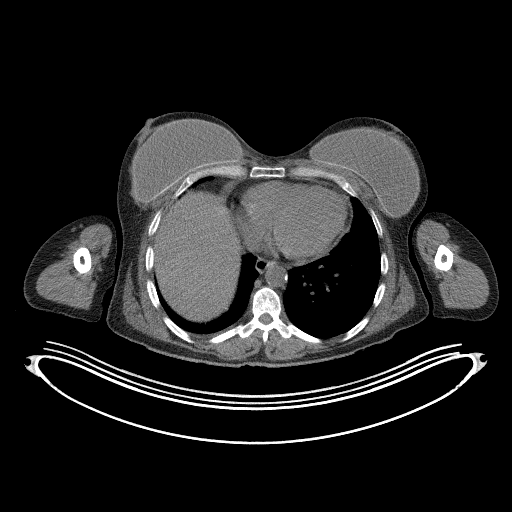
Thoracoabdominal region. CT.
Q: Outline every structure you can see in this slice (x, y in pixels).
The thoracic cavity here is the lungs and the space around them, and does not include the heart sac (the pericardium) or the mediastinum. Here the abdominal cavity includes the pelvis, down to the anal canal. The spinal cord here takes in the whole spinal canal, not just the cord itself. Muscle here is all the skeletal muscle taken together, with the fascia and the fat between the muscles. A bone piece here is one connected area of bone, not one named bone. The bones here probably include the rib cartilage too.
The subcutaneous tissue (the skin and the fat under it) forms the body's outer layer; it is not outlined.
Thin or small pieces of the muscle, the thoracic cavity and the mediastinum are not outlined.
A: {"muscle":[[[297,158],[343,167],[372,188],[391,217],[383,215],[396,266],[398,269],[400,265],[403,267],[414,292],[412,308],[383,329],[355,342],[284,360],[268,359],[262,351],[243,359],[221,359],[159,340],[133,328],[126,321],[122,312],[126,273],[131,261],[133,275],[136,274],[142,227],[148,213],[135,200],[142,203],[152,201],[185,176],[164,213],[162,215],[160,208],[155,211],[147,228],[147,235],[154,235],[153,247],[149,244],[144,254],[145,270],[152,271],[153,275],[153,280],[147,278],[145,281],[146,292],[152,305],[156,309],[161,306],[164,310],[166,314],[162,321],[173,334],[190,344],[195,342],[191,336],[218,344],[236,335],[247,338],[259,329],[262,341],[266,343],[269,332],[275,329],[284,339],[295,336],[320,344],[322,339],[342,334],[339,341],[344,342],[359,333],[370,320],[366,313],[371,306],[376,308],[379,305],[386,290],[386,284],[379,282],[380,276],[389,269],[388,256],[379,247],[379,238],[383,237],[382,224],[373,208],[367,210],[355,187],[343,174],[306,165],[271,166]],{"outer":[[96,223],[107,225],[111,231],[112,238],[109,251],[103,263],[103,267],[99,276],[98,283],[96,285],[90,308],[89,309],[76,308],[62,303],[58,303],[40,296],[36,291],[35,284],[42,270],[52,263],[60,255],[70,241],[78,237],[84,227]],"hole":[[81,246],[84,246],[86,247],[89,250],[90,252],[90,255],[91,256],[91,267],[90,269],[87,272],[85,273],[81,273],[80,274],[78,273],[78,272],[74,267],[74,265],[73,264],[73,254],[74,252],[77,249],[77,248]]},{"outer":[[427,219],[443,224],[449,231],[451,239],[460,246],[460,254],[464,258],[476,264],[483,271],[487,278],[489,294],[486,302],[480,307],[464,309],[448,308],[444,306],[436,282],[426,267],[425,262],[422,259],[416,244],[416,233],[418,227],[424,220]],"hole":[[440,244],[443,244],[447,246],[450,249],[450,250],[453,254],[453,262],[452,263],[452,265],[450,269],[449,269],[447,271],[443,271],[442,270],[439,270],[437,268],[436,268],[434,264],[434,256],[437,250],[437,248]]},[[242,149],[244,152],[255,158],[260,164],[269,165],[253,164],[250,166],[248,166],[240,163],[228,163],[227,164],[216,164],[215,165],[207,165],[204,167],[200,167],[186,175],[186,174],[189,172],[204,165],[208,165],[209,164],[214,163],[223,164],[228,162],[233,162],[240,155]]],"right_arm":[[[90,214],[102,214],[110,218],[114,224],[117,238],[115,278],[113,285],[108,288],[104,295],[100,319],[95,322],[87,322],[58,313],[38,310],[30,306],[26,302],[23,295],[23,281],[29,263],[34,254],[43,242],[58,229],[80,217]]],"mediastinum":[[[256,257],[262,260],[276,261],[277,262],[280,262],[290,266],[297,266],[292,267],[287,272],[287,283],[281,298],[279,294],[274,289],[266,285],[264,285],[256,289],[252,293],[251,297],[251,293],[253,289],[254,282],[258,276],[258,272],[255,268]],[[212,176],[226,176],[227,177],[238,177],[239,178],[245,178],[248,177],[251,178],[240,178],[231,181],[224,185],[221,188],[219,193],[218,191],[216,191],[213,189],[210,189],[209,187],[199,187],[197,186],[204,181],[210,180],[213,177]],[[311,177],[325,178],[328,180],[333,181],[338,186],[339,186],[339,187],[341,188],[342,190],[343,190],[350,196],[349,197],[349,201],[348,196],[345,193],[344,193],[343,191],[340,190],[337,187],[325,181],[322,181],[316,178]]],"pericardium":[[[286,178],[312,178],[325,182],[337,188],[347,196],[349,207],[351,210],[350,221],[347,229],[328,253],[326,255],[298,265],[290,265],[276,260],[262,259],[251,253],[240,241],[236,223],[229,211],[229,207],[220,196],[220,192],[224,186],[240,179]]],"torso":[[[182,110],[213,115],[256,150],[274,156],[299,149],[349,117],[381,118],[400,128],[416,146],[428,181],[426,203],[408,234],[409,257],[428,302],[428,315],[352,354],[282,367],[188,361],[114,333],[106,315],[122,246],[116,205],[121,162],[148,117]]],"bones":[{"outer":[[264,286],[278,294],[284,312],[295,326],[321,339],[321,342],[312,343],[295,335],[284,338],[275,328],[268,332],[266,342],[263,341],[263,332],[259,328],[244,338],[236,334],[218,343],[209,342],[211,337],[244,319],[245,313],[250,308],[253,293]],"hole":[[265,313],[266,313],[267,314],[268,314],[271,317],[271,318],[272,319],[272,320],[270,322],[269,322],[268,323],[263,323],[262,322],[261,322],[259,320],[259,318],[260,317],[260,316],[261,315],[262,315],[263,314],[264,314]]},[[228,164],[240,164],[248,167],[259,165],[284,166],[288,168],[295,166],[321,168],[343,175],[354,187],[357,197],[350,195],[333,180],[325,177],[252,178],[248,176],[208,175],[199,178],[177,197],[173,198],[173,194],[182,180],[190,173],[207,166]],[[81,246],[84,246],[86,247],[89,250],[90,252],[90,255],[91,256],[91,267],[90,269],[87,272],[85,273],[81,273],[80,274],[78,273],[78,272],[74,267],[74,265],[73,264],[73,254],[74,252],[77,249],[77,248]],[[440,244],[443,244],[447,246],[450,249],[450,250],[453,254],[453,262],[452,263],[452,265],[450,269],[449,269],[447,271],[443,271],[442,270],[439,270],[437,268],[436,268],[434,264],[434,256],[437,250],[437,248]],[[165,315],[166,315],[176,325],[177,325],[183,330],[186,331],[189,334],[190,337],[194,341],[194,342],[193,343],[190,343],[189,342],[188,342],[187,341],[182,339],[180,337],[177,336],[174,333],[173,333],[163,321],[163,317]],[[365,316],[368,316],[369,317],[369,320],[368,322],[364,326],[364,327],[359,332],[358,332],[355,335],[354,335],[349,339],[347,340],[345,340],[344,341],[340,341],[341,338],[344,335],[344,334],[348,330],[349,330],[357,323],[358,323]],[[147,279],[151,279],[154,282],[154,284],[156,288],[156,291],[157,292],[157,295],[158,296],[158,298],[160,302],[160,306],[158,308],[156,308],[153,305],[149,297],[149,295],[147,292],[147,289],[146,288],[146,281]],[[159,209],[160,209],[161,210],[161,217],[160,218],[160,221],[158,224],[158,226],[157,227],[157,229],[156,230],[155,233],[153,235],[152,235],[151,236],[149,236],[148,235],[148,228],[149,227],[149,225],[150,224],[150,223],[151,222],[156,211]],[[149,245],[150,245],[153,248],[153,265],[152,266],[152,268],[151,269],[151,270],[150,271],[147,271],[146,270],[146,268],[145,267],[145,254],[146,253],[146,249],[147,248],[147,247]],[[381,282],[383,282],[385,284],[385,290],[384,291],[383,296],[381,300],[379,302],[378,305],[376,307],[374,307],[372,305],[372,303],[373,302],[373,299],[374,298],[374,296],[375,295],[375,293],[376,292],[377,287],[379,283]],[[369,208],[371,208],[372,209],[373,209],[373,210],[375,212],[375,213],[381,224],[381,227],[382,228],[382,237],[378,237],[378,235],[377,234],[376,229],[374,226],[374,224],[373,223],[372,218],[371,217],[370,214],[368,212],[368,210],[369,209]],[[382,252],[385,252],[385,253],[386,254],[386,255],[387,256],[387,258],[388,259],[388,269],[387,270],[387,272],[384,275],[383,275],[382,274],[381,274],[381,273],[380,272],[380,256],[381,255],[381,253]]],"spinal_cord":[[[265,313],[266,313],[267,314],[268,314],[271,317],[271,318],[272,319],[272,320],[270,322],[269,322],[268,323],[263,323],[262,322],[261,322],[259,320],[259,318],[260,317],[260,316],[261,315],[262,315],[263,314],[264,314]]],"abdominal_cavity":[[[196,186],[218,192],[235,223],[237,236],[243,246],[244,253],[241,256],[237,288],[231,304],[221,315],[205,323],[187,320],[176,313],[164,299],[158,283],[154,280],[152,270],[154,265],[154,238],[162,216],[174,199],[186,190]]],"thoracic_cavity":[[[351,196],[357,198],[361,202],[369,214],[375,229],[380,252],[379,280],[371,305],[358,322],[344,333],[328,338],[320,338],[302,330],[289,319],[284,310],[282,298],[288,283],[288,272],[294,267],[327,256],[350,229],[353,218],[353,208],[350,202]],[[247,253],[255,257],[254,268],[257,272],[257,276],[253,282],[250,293],[249,308],[244,313],[241,321],[209,338],[204,338],[190,335],[167,315],[161,305],[155,280],[163,299],[176,314],[187,321],[205,324],[221,316],[232,304],[238,288],[242,256]],[[208,176],[211,176],[212,177],[210,179],[207,179],[206,180],[204,180],[202,182],[199,183],[194,187],[191,187],[189,189],[187,189],[190,186],[191,186],[195,182],[196,182],[199,179],[201,179],[202,178],[204,178],[205,177],[207,177]]],"left_arm":[[[430,211],[444,212],[456,219],[480,241],[488,253],[496,273],[499,288],[499,299],[497,307],[488,318],[481,321],[469,322],[457,318],[437,318],[433,315],[431,311],[433,306],[431,296],[427,289],[411,245],[412,231],[416,223],[422,216]]],"breast_implant":[[[185,118],[201,119],[215,123],[225,128],[235,138],[241,147],[241,151],[239,155],[233,161],[204,164],[189,171],[156,195],[152,200],[142,202],[135,199],[130,193],[132,188],[130,168],[137,148],[139,145],[143,144],[150,137],[156,127],[173,120]],[[349,128],[382,130],[388,136],[395,138],[403,144],[410,157],[416,162],[418,167],[420,191],[415,204],[403,216],[393,217],[387,213],[380,203],[373,188],[352,170],[324,160],[314,158],[312,159],[310,157],[308,153],[309,150],[320,139],[330,133]]]}